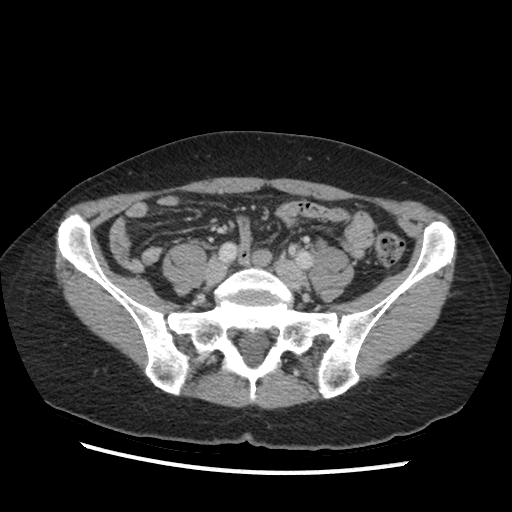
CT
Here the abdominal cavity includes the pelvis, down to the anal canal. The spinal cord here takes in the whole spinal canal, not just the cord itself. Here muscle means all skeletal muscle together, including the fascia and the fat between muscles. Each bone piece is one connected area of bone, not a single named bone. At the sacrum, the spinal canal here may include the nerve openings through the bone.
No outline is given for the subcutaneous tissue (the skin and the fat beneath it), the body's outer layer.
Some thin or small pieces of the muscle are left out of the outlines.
{"spinal_cord":[[[272,327],[275,328],[277,331],[277,337],[273,345],[271,348],[267,350],[262,361],[256,367],[249,366],[246,364],[244,357],[239,350],[239,347],[232,342],[229,336],[231,329],[236,328],[242,331],[250,332],[253,329],[257,331],[259,330],[267,331]]],"abdominal_cavity":[{"outer":[[263,186],[322,200],[372,203],[392,215],[414,239],[403,269],[326,311],[294,308],[288,286],[274,273],[256,266],[238,269],[220,282],[213,290],[211,308],[180,309],[159,297],[145,278],[112,270],[97,239],[98,226],[138,200],[175,191],[243,193]],"hole":[[325,244],[328,246],[335,247],[341,250],[347,256],[349,260],[349,263],[351,264],[354,271],[353,277],[351,281],[344,288],[341,294],[330,301],[324,301],[316,294],[309,277],[309,272],[314,266],[315,263],[314,262],[314,255],[316,251],[321,246]]}],"bones":[{"outer":[[73,213],[89,223],[110,281],[165,315],[211,309],[220,283],[256,267],[287,286],[294,309],[339,317],[374,306],[408,276],[433,220],[453,230],[455,247],[450,263],[411,285],[371,327],[355,363],[357,384],[322,397],[317,368],[332,341],[322,334],[300,356],[286,351],[257,380],[251,402],[249,382],[221,369],[218,350],[196,353],[187,335],[173,334],[190,358],[180,394],[150,381],[132,316],[61,255],[57,229]],"hole":[[272,327],[275,328],[277,331],[277,337],[273,345],[271,348],[267,350],[262,361],[256,367],[249,366],[246,364],[244,357],[239,350],[239,347],[232,342],[229,336],[231,329],[236,328],[242,331],[250,332],[253,329],[257,331],[259,330],[267,331]]}],"torso":[[[221,130],[312,135],[367,149],[435,183],[471,215],[507,269],[509,289],[494,349],[456,413],[413,434],[394,436],[374,445],[290,450],[255,446],[247,441],[205,445],[134,436],[54,408],[44,400],[12,335],[0,255],[59,197],[84,179],[159,145]]],"muscle":[[[223,176],[300,179],[356,194],[418,201],[441,212],[454,227],[457,236],[457,256],[450,295],[435,325],[409,349],[389,361],[390,367],[382,375],[359,383],[361,377],[356,363],[370,330],[400,295],[452,262],[456,247],[456,237],[455,232],[454,230],[443,220],[430,221],[423,228],[420,251],[407,276],[374,305],[339,316],[335,311],[327,310],[332,305],[353,300],[407,266],[415,239],[406,233],[392,214],[372,202],[358,198],[322,199],[293,194],[269,185],[243,192],[170,191],[138,199],[98,225],[94,232],[109,268],[124,276],[145,279],[159,298],[174,303],[180,310],[165,314],[132,298],[103,271],[92,245],[90,223],[80,213],[70,213],[56,228],[64,212],[80,201],[118,193],[159,190]],[[174,334],[187,336],[196,354],[218,351],[220,369],[248,382],[251,403],[257,397],[258,380],[274,372],[286,352],[300,357],[317,338],[326,335],[331,341],[316,368],[317,391],[324,399],[261,409],[181,396],[190,375],[191,358],[177,346]],[[56,230],[56,244],[61,257],[69,262],[78,271],[100,285],[128,312],[135,322],[141,335],[147,358],[146,364],[142,372],[151,383],[140,373],[137,366],[127,357],[90,331],[68,306],[62,295],[62,289],[58,285],[54,272],[55,263],[54,235]],[[325,244],[328,246],[335,247],[341,250],[347,256],[349,260],[349,263],[351,264],[354,271],[353,277],[351,281],[344,288],[341,294],[330,301],[324,301],[316,294],[309,277],[309,272],[314,266],[315,263],[314,262],[314,255],[316,251],[321,246]],[[186,243],[195,244],[199,246],[204,251],[206,256],[205,258],[205,273],[203,275],[202,280],[197,285],[194,286],[188,292],[183,294],[179,294],[174,289],[172,283],[170,282],[163,274],[162,271],[162,263],[166,254],[172,247],[180,244],[185,244]]]}